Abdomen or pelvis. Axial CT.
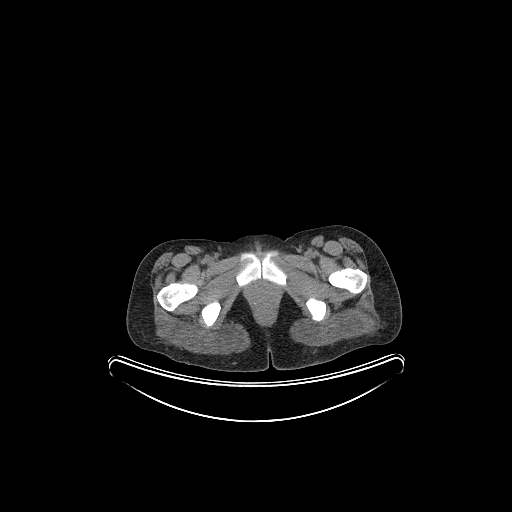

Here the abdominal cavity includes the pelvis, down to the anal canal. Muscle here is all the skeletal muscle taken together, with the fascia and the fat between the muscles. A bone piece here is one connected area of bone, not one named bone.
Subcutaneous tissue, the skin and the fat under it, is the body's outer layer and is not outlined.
The muscle appears in 2 outlined pieces: piece 1: (319, 232) (338, 232) (364, 250) (380, 319) (376, 334) (306, 346) (289, 336) (290, 326) (302, 317) (302, 311) (287, 293) (271, 326) (258, 324) (239, 294) (226, 319) (240, 323) (248, 332) (251, 346) (246, 350) (229, 355) (197, 354) (159, 341) (150, 273) (166, 248) (190, 244) (222, 259) (242, 252) (235, 281) (239, 287) (247, 285) (245, 293) (257, 318) (267, 324) (278, 303) (276, 285) (287, 285) (288, 275) (274, 258) (277, 250) (298, 254), around holes outlined by (172, 282) (188, 282) (189, 283) (193, 283) (198, 287) (198, 291) (197, 293) (192, 298) (186, 301) (184, 301) (182, 302) (180, 304) (179, 304) (174, 310) (172, 311) (168, 311) (164, 308) (163, 308) (158, 302) (158, 300) (157, 299) (157, 294) (159, 290) (161, 288) and by (345, 267) (358, 268) (368, 275) (368, 279) (366, 282) (365, 287) (362, 290) (362, 291) (361, 291) (359, 293) (354, 294) (344, 288) (339, 288) (338, 287) (333, 286) (328, 281) (328, 276) (330, 274) (330, 273) (331, 273) (333, 271) (335, 271) (336, 270) (338, 270) and by (214, 300) (217, 300) (219, 302) (221, 308) (220, 309) (219, 314) (215, 322) (211, 326) (209, 327) (207, 327) (205, 323) (203, 321) (203, 319) (200, 313) (201, 312) (201, 310) (202, 308) (208, 302) (210, 302) and by (310, 297) (313, 297) (314, 298) (316, 298) (317, 299) (322, 300) (323, 301) (324, 301) (326, 304) (326, 312) (325, 313) (325, 315) (324, 316) (323, 319) (322, 319) (320, 321) (316, 321) (315, 320) (313, 320) (311, 318) (311, 315) (305, 304) (307, 299) (308, 299); piece 2: (259, 248) (261, 250) (264, 250) (265, 249) (275, 249) (270, 249) (269, 250) (267, 250) (263, 254) (263, 256) (261, 258) (260, 258) (253, 251) (243, 251) (247, 251) (248, 250) (256, 250) (257, 249) (258, 249). The bones appear in 5 outlined pieces: piece 1: (270, 250) (276, 250) (278, 252) (277, 255) (273, 258) (276, 263) (287, 275) (286, 285) (285, 286) (278, 285) (273, 282) (260, 278) (255, 281) (252, 281) (246, 285) (239, 286) (235, 277) (243, 264) (240, 260) (241, 253) (253, 252) (261, 259) (264, 256) (264, 254); piece 2: (172, 282) (188, 282) (189, 283) (193, 283) (198, 287) (198, 291) (197, 293) (192, 298) (186, 301) (184, 301) (182, 302) (180, 304) (179, 304) (174, 310) (172, 311) (168, 311) (164, 308) (163, 308) (158, 302) (158, 300) (157, 299) (157, 294) (159, 290) (161, 288); piece 3: (345, 267) (358, 268) (368, 275) (368, 279) (366, 282) (365, 287) (362, 290) (362, 291) (361, 291) (359, 293) (354, 294) (344, 288) (339, 288) (338, 287) (333, 286) (328, 281) (328, 276) (330, 274) (330, 273) (331, 273) (333, 271) (335, 271) (336, 270) (338, 270); piece 4: (214, 300) (217, 300) (219, 302) (221, 308) (220, 309) (219, 314) (215, 322) (211, 326) (209, 327) (207, 327) (205, 323) (203, 321) (203, 319) (200, 313) (201, 312) (201, 310) (202, 308) (208, 302) (210, 302); piece 5: (310, 297) (313, 297) (314, 298) (316, 298) (317, 299) (322, 300) (323, 301) (324, 301) (326, 304) (326, 312) (325, 313) (325, 315) (324, 316) (323, 319) (322, 319) (320, 321) (316, 321) (315, 320) (313, 320) (311, 318) (311, 315) (305, 304) (307, 299) (308, 299). The torso is outlined by (332, 224) (365, 233) (378, 245) (390, 266) (400, 294) (402, 325) (389, 343) (358, 348) (300, 369) (278, 370) (271, 364) (258, 372) (227, 372) (176, 362) (142, 349) (130, 339) (126, 310) (134, 274) (156, 245) (178, 238) (231, 241) (256, 233) (286, 238) (301, 230). The abdominal cavity is outlined by (260, 279) (262, 279) (268, 282) (275, 284) (279, 289) (277, 303) (276, 304) (276, 307) (275, 308) (274, 313) (272, 317) (267, 323) (263, 322) (258, 318) (256, 314) (255, 309) (252, 303) (249, 300) (246, 293) (246, 289) (248, 287) (248, 285) (252, 282) (255, 282).